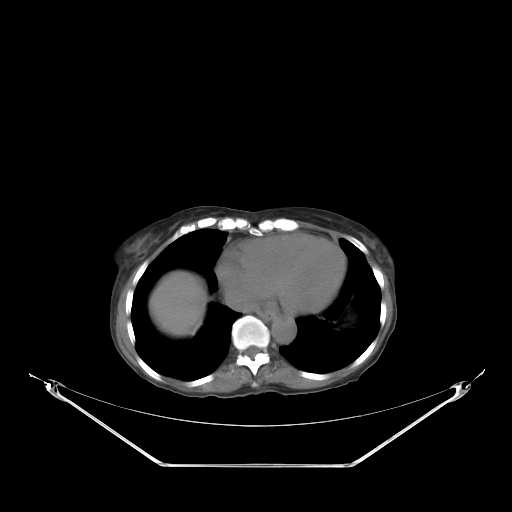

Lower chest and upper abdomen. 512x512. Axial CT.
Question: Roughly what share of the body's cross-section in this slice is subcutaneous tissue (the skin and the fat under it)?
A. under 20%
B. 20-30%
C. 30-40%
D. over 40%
Answer: A. under 20%
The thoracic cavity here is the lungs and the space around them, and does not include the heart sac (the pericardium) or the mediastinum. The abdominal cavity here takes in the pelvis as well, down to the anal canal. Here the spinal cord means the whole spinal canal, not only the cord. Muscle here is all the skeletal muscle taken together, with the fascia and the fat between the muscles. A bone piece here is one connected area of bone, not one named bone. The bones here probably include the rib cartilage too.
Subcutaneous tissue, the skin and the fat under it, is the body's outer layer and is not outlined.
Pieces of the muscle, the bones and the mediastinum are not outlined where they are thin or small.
{"pericardium":[[[296,230],[308,230],[325,235],[335,240],[344,252],[347,258],[347,270],[337,297],[323,311],[310,315],[292,315],[272,311],[240,311],[230,307],[223,299],[214,267],[226,244],[230,240],[238,237],[250,235],[259,237],[265,233],[277,231],[292,232]]],"thoracic_cavity":[[[205,228],[226,232],[213,266],[217,289],[211,291],[201,271],[176,265],[159,274],[145,298],[151,326],[170,341],[191,340],[212,302],[240,314],[231,325],[225,359],[212,372],[185,381],[159,373],[139,355],[132,305],[135,288],[156,256],[183,235]],{"outer":[[340,238],[360,250],[370,266],[380,289],[379,327],[372,341],[349,364],[330,372],[307,371],[291,364],[279,354],[278,350],[295,340],[298,333],[296,321],[299,317],[312,315],[323,319],[323,313],[340,297],[349,268],[349,256],[340,246]],"hole":[[352,294],[354,294],[355,296],[354,297],[355,303],[357,304],[358,307],[361,310],[361,317],[362,318],[361,323],[355,328],[352,329],[348,329],[339,332],[335,331],[329,321],[338,317],[342,311],[342,308],[348,303],[350,299],[350,296]]}],"spinal_cord":[[[250,346],[255,346],[256,347],[257,347],[258,348],[259,348],[261,350],[259,352],[258,352],[254,356],[254,357],[253,358],[251,358],[249,356],[248,356],[246,354],[244,354],[244,351],[248,347],[249,347]]],"abdominal_cavity":[[[176,266],[187,266],[194,268],[201,272],[205,276],[208,282],[210,291],[215,292],[215,301],[212,301],[209,303],[207,309],[207,314],[203,325],[199,331],[191,339],[183,341],[170,340],[160,335],[152,326],[146,311],[146,298],[148,291],[162,272]],[[352,294],[354,294],[355,296],[354,297],[355,303],[357,304],[358,307],[361,310],[361,317],[362,318],[361,323],[355,328],[352,329],[348,329],[339,332],[335,331],[329,321],[338,317],[342,311],[342,308],[348,303],[350,299],[350,296]]],"torso":[[[199,205],[244,210],[278,206],[316,207],[349,217],[379,235],[396,264],[397,321],[378,360],[356,381],[324,391],[294,395],[267,392],[231,398],[188,397],[157,387],[138,376],[118,354],[110,337],[109,300],[115,276],[111,253],[132,232],[179,210]]],"bones":[{"outer":[[245,315],[252,315],[259,319],[267,327],[270,335],[270,344],[268,347],[268,352],[270,360],[269,362],[262,364],[258,368],[255,375],[252,373],[251,370],[247,366],[234,364],[237,356],[237,350],[232,345],[231,341],[232,325],[235,320]],"hole":[[250,346],[255,346],[256,347],[257,347],[258,348],[259,348],[261,350],[259,352],[258,352],[254,356],[254,357],[253,358],[251,358],[249,356],[248,356],[246,354],[244,354],[244,351],[248,347],[249,347]]},[[205,217],[215,217],[218,220],[225,217],[233,219],[239,217],[246,219],[253,226],[265,219],[288,218],[295,220],[299,228],[292,231],[273,229],[257,236],[249,233],[246,228],[220,230],[213,225],[197,228],[168,244],[167,240],[181,225],[194,223]],[[137,355],[138,355],[153,370],[156,371],[159,374],[160,374],[161,375],[161,376],[162,377],[162,379],[163,380],[163,382],[160,382],[159,381],[152,378],[149,375],[148,375],[142,369],[142,368],[139,365],[139,364],[136,359],[136,356]],[[376,337],[377,338],[377,341],[375,344],[375,346],[373,348],[373,349],[372,350],[372,351],[370,353],[370,354],[360,364],[359,364],[354,367],[350,367],[349,366],[349,365],[353,361],[354,361],[368,347],[368,346],[373,341],[373,340]],[[299,370],[303,370],[304,371],[311,372],[312,373],[320,373],[321,374],[323,374],[324,373],[330,373],[331,375],[330,377],[326,379],[324,379],[323,380],[316,380],[315,379],[310,379],[309,378],[306,378],[301,376],[298,373],[298,371]],[[213,372],[214,373],[214,377],[212,380],[208,382],[206,382],[203,384],[201,384],[197,386],[194,386],[193,387],[189,387],[185,384],[185,382],[186,381],[192,381],[193,380],[195,380],[196,379],[201,378],[204,376],[206,376]],[[346,235],[351,235],[352,236],[353,236],[354,237],[355,237],[356,238],[357,238],[367,248],[367,249],[368,250],[368,253],[367,254],[365,254],[360,249],[359,249],[355,245],[354,245],[351,242],[350,242],[349,241],[348,241],[345,238],[344,238]],[[145,260],[148,260],[149,261],[149,263],[148,264],[147,267],[143,272],[142,275],[138,280],[136,285],[135,286],[133,286],[133,285],[132,284],[132,282],[133,281],[133,278],[135,275],[135,273],[137,271],[137,270],[140,266],[140,265]],[[129,289],[133,289],[134,290],[134,291],[133,292],[133,297],[132,298],[132,304],[131,305],[131,312],[130,313],[130,314],[129,315],[127,315],[126,314],[126,312],[125,311],[125,300],[126,299],[126,295],[127,294],[127,292],[128,291],[128,290]],[[372,266],[376,266],[381,271],[381,272],[382,273],[382,275],[383,276],[383,288],[382,289],[381,289],[380,288],[380,287],[379,286],[379,285],[378,284],[378,283],[375,278],[375,276],[374,275],[374,274],[373,273],[373,271],[371,268],[371,267]],[[381,300],[383,300],[385,302],[385,305],[386,306],[386,315],[385,316],[385,321],[384,322],[384,324],[383,325],[383,326],[381,326],[380,325],[380,321],[379,320],[379,318],[380,317],[380,308],[381,307]],[[128,320],[130,320],[132,324],[132,327],[133,328],[133,332],[134,333],[134,336],[135,337],[135,343],[134,344],[132,344],[131,343],[130,341],[130,339],[129,338],[129,336],[128,335],[128,332],[127,331],[127,326],[126,325],[127,323],[127,321]]],"muscle":[[[369,250],[387,276],[392,300],[392,317],[390,325],[376,352],[354,372],[329,384],[311,388],[291,388],[284,385],[273,384],[257,387],[258,384],[254,380],[250,386],[243,385],[229,392],[197,392],[184,391],[161,383],[164,382],[162,375],[184,381],[184,384],[189,388],[212,381],[215,377],[214,371],[226,359],[232,347],[236,350],[233,364],[247,367],[254,376],[262,365],[270,362],[270,346],[287,362],[299,369],[297,373],[301,377],[310,380],[323,381],[331,377],[331,372],[348,365],[350,368],[360,365],[376,346],[378,341],[376,336],[380,326],[384,326],[387,315],[386,302],[381,297],[381,290],[384,288],[384,276],[376,265],[371,266],[369,264],[366,258]],[[166,240],[167,245],[150,262],[148,259],[145,259],[144,260],[139,265],[131,282],[135,287],[127,290],[124,300],[125,314],[130,315],[125,324],[127,335],[130,343],[135,345],[138,354],[135,359],[144,373],[129,360],[118,343],[115,330],[117,306],[121,291],[133,270],[144,258]],[[296,220],[302,220],[303,221],[314,222],[323,226],[325,226],[328,228],[334,229],[335,230],[349,234],[346,234],[344,237],[335,237],[330,234],[327,234],[319,231],[314,231],[313,230],[309,230],[308,229],[298,229],[300,228],[300,224]]],"mediastinum":[[[230,308],[232,308],[240,312],[272,312],[292,316],[300,316],[295,321],[297,328],[296,336],[290,344],[280,346],[277,351],[276,349],[274,349],[275,346],[273,344],[272,347],[270,345],[271,335],[268,327],[259,318],[252,314],[245,314],[241,316],[241,314],[238,311]],[[226,231],[231,231],[232,232],[241,232],[242,233],[248,233],[250,234],[249,235],[244,235],[243,236],[238,236],[232,239],[230,239],[229,241],[228,241],[223,247],[223,245],[226,240],[226,237],[227,236],[227,232]],[[218,283],[218,286],[219,287],[219,291],[220,292],[220,294],[222,297],[222,299],[223,300],[223,301],[229,307],[228,307],[226,305],[225,305],[222,303],[220,303],[219,302],[218,302],[217,301],[216,301],[216,291],[218,289]],[[316,232],[319,232],[320,233],[321,233],[323,233],[324,234],[326,234],[327,235],[330,235],[335,238],[339,238],[338,239],[338,242],[339,243],[339,244],[338,243],[338,242],[337,241],[336,241],[336,240],[335,239],[334,239],[331,237],[329,237],[325,234],[323,234]],[[343,285],[343,286],[342,287],[342,289],[341,290],[341,293],[340,294],[340,295],[339,296],[339,297],[331,305],[331,304],[336,299],[336,298],[337,298],[338,297],[338,296],[339,295],[339,294],[340,293],[340,290],[342,288],[342,286]]]}